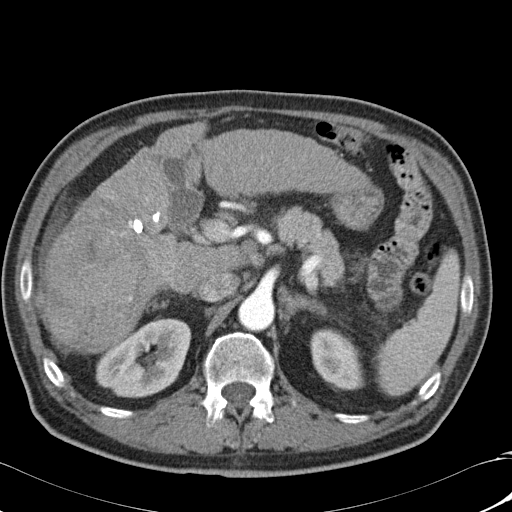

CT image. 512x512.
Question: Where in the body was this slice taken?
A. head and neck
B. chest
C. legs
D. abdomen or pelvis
Answer: D. abdomen or pelvis
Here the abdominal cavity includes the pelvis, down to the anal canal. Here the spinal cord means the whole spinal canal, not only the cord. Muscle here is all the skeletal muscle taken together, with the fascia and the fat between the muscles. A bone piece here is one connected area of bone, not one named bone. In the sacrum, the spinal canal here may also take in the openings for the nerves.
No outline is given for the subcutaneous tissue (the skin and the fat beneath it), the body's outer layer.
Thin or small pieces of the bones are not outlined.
{"torso":[[[222,89],[329,94],[373,102],[435,129],[468,170],[490,253],[491,317],[482,350],[461,394],[422,443],[382,459],[330,471],[228,478],[166,473],[120,463],[50,434],[33,415],[7,338],[1,301],[6,241],[32,175],[62,137],[101,111],[150,96]]],"spinal_cord":[[[234,382],[244,382],[245,383],[247,383],[251,385],[255,390],[254,394],[249,399],[247,403],[247,405],[245,407],[243,407],[242,408],[237,408],[236,407],[234,407],[230,405],[228,400],[222,395],[222,389],[226,385],[230,384],[231,383],[233,383]]],"bones":[{"outer":[[236,331],[250,333],[258,338],[274,360],[275,368],[270,383],[270,389],[277,398],[271,408],[274,418],[272,422],[268,422],[253,417],[250,407],[242,416],[231,414],[226,408],[222,418],[207,426],[207,411],[198,403],[207,390],[202,364],[216,337]],"hole":[[234,382],[244,382],[245,383],[247,383],[251,385],[255,390],[254,394],[249,399],[247,403],[247,405],[245,407],[243,407],[242,408],[237,408],[236,407],[234,407],[230,405],[228,400],[222,395],[222,389],[226,385],[230,384],[231,383],[233,383]]},[[466,273],[469,274],[471,276],[472,278],[472,281],[473,282],[473,303],[472,304],[472,308],[471,309],[471,312],[469,314],[465,314],[463,313],[461,311],[461,307],[460,306],[460,297],[461,296],[462,279],[463,278],[463,276],[464,274]],[[26,258],[30,260],[31,262],[31,267],[32,268],[32,287],[31,288],[31,295],[28,301],[26,302],[23,300],[21,296],[21,292],[20,291],[20,272],[21,271],[21,266],[22,265],[22,263],[23,261]],[[44,356],[46,356],[52,359],[55,362],[57,366],[62,372],[63,374],[63,376],[64,377],[64,385],[63,386],[61,387],[58,387],[56,386],[49,379],[49,378],[45,373],[44,371],[44,368],[43,367],[43,363],[42,362],[42,359]],[[438,370],[440,371],[441,373],[441,378],[440,379],[440,383],[437,389],[435,391],[435,392],[429,398],[428,398],[426,400],[421,400],[418,395],[418,391],[420,389],[421,386],[428,379],[428,378],[429,378],[430,376],[431,376],[434,372],[436,372]],[[101,405],[103,405],[104,406],[110,406],[111,407],[114,407],[115,408],[118,408],[119,409],[131,410],[133,411],[134,413],[131,416],[129,417],[125,417],[124,418],[118,418],[117,417],[113,417],[112,416],[109,416],[102,413],[99,410],[99,407]],[[335,412],[338,412],[339,413],[345,413],[346,414],[368,414],[369,415],[369,418],[367,420],[366,420],[365,421],[362,421],[361,422],[358,422],[357,423],[346,423],[345,422],[342,422],[341,421],[340,421],[337,418],[336,418],[333,415],[333,414]]],"muscle":[{"outer":[[229,105],[242,105],[243,106],[264,107],[276,109],[326,111],[371,119],[380,122],[396,131],[410,135],[435,148],[447,158],[460,177],[463,184],[468,205],[471,211],[476,244],[480,261],[481,286],[480,293],[478,296],[478,316],[475,322],[473,333],[469,337],[468,341],[449,377],[449,380],[446,384],[440,400],[437,405],[417,423],[408,425],[370,441],[354,446],[340,448],[337,450],[319,451],[318,452],[309,451],[298,453],[276,453],[270,456],[249,456],[247,454],[243,456],[237,455],[210,456],[199,454],[196,454],[193,456],[188,456],[186,454],[171,454],[170,453],[158,453],[146,451],[121,443],[97,431],[82,421],[73,413],[66,410],[48,393],[44,387],[41,381],[41,378],[39,376],[35,357],[30,348],[29,340],[25,332],[23,322],[20,317],[15,297],[15,283],[14,281],[15,280],[15,266],[17,261],[16,257],[18,245],[24,224],[39,189],[55,161],[73,142],[82,137],[102,128],[109,127],[113,125],[124,124],[129,120],[139,115],[150,112],[172,110],[173,109],[212,108]],"hole":[[232,111],[355,126],[417,155],[451,212],[463,273],[473,282],[471,312],[459,314],[429,398],[417,394],[387,413],[346,423],[295,389],[276,362],[272,422],[253,417],[250,407],[242,416],[226,408],[207,426],[198,403],[207,384],[198,365],[181,388],[124,418],[102,413],[65,375],[61,387],[49,379],[42,359],[56,360],[43,342],[33,295],[26,302],[21,296],[20,272],[26,258],[33,267],[58,193],[128,134]]}],"abdominal_cavity":[[[232,111],[355,126],[417,155],[451,212],[464,265],[455,336],[411,400],[387,413],[323,407],[291,385],[258,337],[236,330],[213,339],[202,368],[198,365],[181,388],[149,407],[125,409],[84,397],[44,344],[32,294],[34,249],[62,188],[128,134]]]}